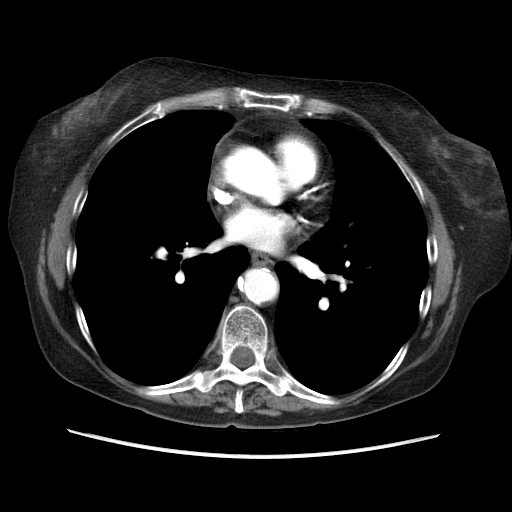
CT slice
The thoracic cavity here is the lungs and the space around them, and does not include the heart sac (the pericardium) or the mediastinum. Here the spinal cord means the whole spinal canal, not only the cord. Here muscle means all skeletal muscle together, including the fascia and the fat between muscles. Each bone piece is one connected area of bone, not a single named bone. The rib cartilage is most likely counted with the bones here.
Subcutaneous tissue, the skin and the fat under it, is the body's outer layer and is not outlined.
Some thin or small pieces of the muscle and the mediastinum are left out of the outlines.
thoracic cavity 1: (186, 108) (220, 110) (234, 119) (214, 146) (206, 201) (223, 231) (225, 243) (243, 246) (248, 254) (248, 263) (230, 289) (201, 366) (167, 383) (142, 385) (110, 368) (92, 339) (73, 287) (77, 260) (76, 228) (88, 195) (88, 184) (111, 148) (137, 128)
thoracic cavity 2: (302, 119) (353, 124) (369, 135) (408, 182) (426, 222) (427, 280) (411, 335) (377, 377) (339, 395) (322, 393) (300, 382) (270, 344) (269, 328) (273, 328) (280, 295) (275, 265) (299, 258) (298, 247) (329, 220) (335, 192) (333, 155) (326, 142) (305, 126)
muscle 1: (324, 100) (347, 107) (369, 121) (397, 149) (434, 195) (449, 237) (453, 241) (454, 265) (456, 267) (459, 264) (461, 265) (457, 307) (442, 340) (429, 357) (357, 404) (325, 410) (305, 408) (298, 411) (283, 411) (275, 416) (243, 412) (243, 387) (252, 382) (264, 385) (272, 394) (278, 397) (289, 393) (298, 398) (326, 405) (338, 405) (340, 401) (334, 396) (351, 393) (372, 381) (363, 392) (375, 388) (388, 379) (402, 363) (409, 348) (407, 341) (412, 335) (419, 317) (424, 319) (430, 307) (432, 287) (427, 284) (428, 269) (429, 265) (433, 265) (437, 261) (438, 243) (433, 232) (427, 233) (427, 222) (422, 207) (426, 201) (417, 176) (380, 139) (378, 143) (349, 120) (339, 115) (331, 114) (336, 111) (336, 106)
muscle 2: (110, 135) (106, 143) (110, 149) (95, 168) (87, 187) (79, 189) (72, 207) (72, 215) (78, 218) (74, 242) (66, 248) (65, 266) (67, 275) (72, 275) (78, 303) (74, 305) (74, 313) (79, 330) (89, 347) (110, 369) (141, 385) (136, 388) (136, 391) (138, 394) (146, 396) (160, 396) (192, 389) (207, 393) (218, 382) (227, 380) (237, 386) (235, 412) (219, 413) (209, 406) (172, 405) (147, 399) (120, 388) (68, 343) (56, 329) (43, 303) (36, 277) (42, 232) (81, 166)
muscle 3: (223, 86) (233, 86) (229, 91) (226, 91) (222, 89) (211, 89) (210, 90) (207, 90) (203, 92) (194, 93) (191, 95) (178, 96) (177, 97) (174, 97) (173, 98) (170, 98) (169, 99) (166, 99) (165, 100) (159, 100) (161, 100) (164, 98) (170, 97) (171, 96) (177, 96) (178, 95) (182, 95) (183, 94) (186, 94) (187, 93) (194, 93) (201, 90) (204, 90) (205, 89) (208, 89) (209, 88) (212, 88) (213, 87) (222, 87)
mediastinum 1: (244, 246) (280, 259) (289, 259) (293, 257) (296, 249) (298, 256) (297, 259) (289, 261) (280, 260) (274, 265) (274, 270) (279, 280) (279, 295) (271, 329) (264, 317) (254, 308) (246, 304) (238, 303) (234, 305) (222, 317) (231, 289) (239, 275) (249, 263) (249, 254)
mediastinum 2: (229, 105) (243, 108) (273, 109) (282, 112) (301, 111) (307, 116) (312, 116) (314, 114) (329, 114) (339, 116) (351, 123) (335, 119) (302, 118) (300, 120) (302, 125) (295, 118) (285, 114) (249, 115) (238, 121) (228, 131) (232, 127) (235, 119) (231, 114) (221, 110)
mediastinum 3: (310, 130) (318, 134) (325, 142) (332, 155) (335, 165) (335, 184) (334, 185) (334, 192) (333, 199) (329, 218) (317, 231) (316, 230) (323, 224) (324, 220) (326, 219) (325, 218) (330, 203) (331, 202) (332, 201) (332, 200) (332, 194) (333, 193) (333, 192) (334, 191) (334, 184) (335, 181) (333, 177) (333, 167) (331, 159) (326, 149) (324, 148) (322, 142)
pericardium: (267, 115) (288, 116) (312, 132) (321, 142) (332, 167) (334, 181) (333, 191) (325, 219) (307, 239) (297, 246) (293, 252) (293, 256) (289, 258) (275, 257) (269, 253) (252, 249) (241, 243) (232, 241) (225, 235) (208, 200) (212, 160) (216, 146) (220, 140) (244, 118)
torso: (152, 56) (248, 72) (387, 83) (415, 97) (450, 132) (489, 151) (508, 213) (511, 264) (499, 284) (471, 309) (449, 369) (433, 388) (337, 423) (217, 428) (176, 423) (120, 405) (52, 369) (33, 331) (22, 274) (7, 233) (13, 175) (43, 115) (93, 91) (119, 69)
bones 1: (238, 304) (263, 317) (269, 344) (294, 378) (339, 403) (319, 403) (289, 392) (278, 396) (252, 381) (242, 387) (243, 411) (237, 413) (238, 386) (227, 379) (207, 392) (192, 388) (160, 395) (138, 393) (139, 387) (167, 384) (197, 368) (212, 366) (207, 349) (221, 319) with a hole at (240, 346) (241, 347) (247, 347) (250, 350) (251, 350) (253, 354) (253, 356) (254, 357) (254, 360) (253, 362) (249, 366) (247, 367) (245, 367) (244, 368) (240, 368) (238, 367) (236, 365) (235, 365) (231, 360) (231, 356) (232, 355) (232, 353) (237, 347) (239, 347)
bones 2: (234, 86) (264, 94) (298, 93) (304, 98) (316, 98) (333, 104) (333, 113) (307, 115) (301, 108) (282, 111) (273, 108) (243, 107) (231, 101) (221, 109) (214, 106) (188, 106) (137, 127) (112, 146) (107, 144) (111, 136) (124, 124) (158, 101) (211, 90) (229, 92)
bones 3: (379, 140) (384, 143) (398, 158) (401, 159) (411, 169) (413, 173) (416, 176) (423, 193) (423, 196) (425, 201) (423, 204) (421, 204) (420, 203) (412, 187) (410, 185) (409, 182) (406, 179) (405, 176) (397, 164) (390, 156) (390, 155) (380, 145) (379, 143)
bones 4: (406, 342) (408, 343) (408, 348) (407, 349) (407, 351) (401, 363) (398, 366) (398, 367) (395, 370) (395, 371) (384, 381) (383, 381) (375, 387) (369, 390) (367, 390) (364, 392) (364, 391) (382, 373) (382, 372) (393, 359) (393, 358) (398, 352) (400, 348)
bones 5: (76, 304) (78, 304) (80, 306) (83, 312) (83, 314) (85, 318) (85, 321) (86, 322) (86, 324) (87, 325) (91, 339) (97, 351) (96, 353) (90, 347) (90, 346) (84, 338) (80, 330) (80, 328) (79, 327) (79, 325) (76, 318) (76, 314) (75, 313) (75, 305)
bones 6: (426, 285) (430, 285) (430, 286) (431, 287) (431, 298) (430, 299) (430, 302) (429, 303) (429, 307) (428, 308) (427, 313) (424, 318) (421, 318) (419, 316) (419, 305) (420, 304) (420, 299) (421, 298) (421, 294) (422, 293) (422, 291) (423, 290) (423, 289) (426, 286)
bones 7: (432, 233) (433, 233) (435, 235) (435, 237) (436, 238) (436, 242) (437, 243) (437, 258) (436, 259) (436, 261) (433, 264) (429, 264) (429, 263) (428, 262) (428, 257) (427, 256) (427, 246) (426, 245) (426, 239) (427, 238) (427, 235) (428, 234) (431, 234)
bones 8: (73, 243) (74, 243) (75, 244) (75, 246) (76, 247) (76, 260) (75, 261) (75, 269) (74, 270) (73, 273) (70, 276) (69, 275) (68, 275) (68, 273) (67, 272) (67, 267) (66, 266) (66, 253) (67, 252) (67, 248) (68, 247) (69, 244) (72, 244)
bones 9: (82, 187) (85, 187) (86, 188) (87, 188) (87, 195) (86, 196) (85, 201) (83, 204) (82, 209) (81, 210) (79, 215) (78, 216) (77, 216) (76, 215) (75, 216) (74, 216) (73, 215) (73, 207) (74, 206) (74, 203) (75, 202) (76, 197) (77, 196) (80, 189)
spinal cord: (240, 346) (241, 347) (247, 347) (250, 350) (251, 350) (253, 354) (253, 356) (254, 357) (254, 360) (253, 362) (249, 366) (247, 367) (245, 367) (244, 368) (240, 368) (238, 367) (236, 365) (235, 365) (231, 360) (231, 356) (232, 355) (232, 353) (237, 347) (239, 347)